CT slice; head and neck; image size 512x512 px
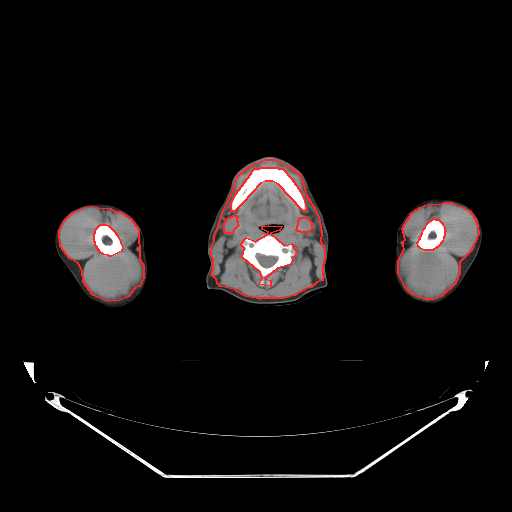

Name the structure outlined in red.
red: muscle.
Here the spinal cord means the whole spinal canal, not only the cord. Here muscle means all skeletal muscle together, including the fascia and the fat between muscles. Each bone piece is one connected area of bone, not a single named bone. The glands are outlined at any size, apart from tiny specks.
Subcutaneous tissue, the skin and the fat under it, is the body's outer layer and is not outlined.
{"muscle":[{"outer":[[264,159],[274,159],[280,161],[289,166],[300,175],[306,195],[315,209],[319,220],[321,232],[320,241],[324,247],[324,258],[322,265],[322,274],[323,275],[322,280],[316,282],[311,287],[306,288],[294,295],[283,298],[256,298],[246,296],[234,289],[220,286],[217,283],[216,279],[211,274],[213,269],[213,259],[211,254],[211,247],[214,241],[214,235],[218,226],[221,214],[233,191],[235,180],[237,176],[249,166]],"holes":[[[268,225],[281,226],[279,230],[270,233],[284,245],[291,243],[296,251],[290,264],[277,268],[265,278],[270,280],[270,286],[259,284],[262,278],[260,272],[242,257],[244,248],[240,244],[246,237],[255,241],[267,234],[268,232],[262,229],[262,226]],[[260,167],[277,167],[278,168],[282,168],[291,178],[300,191],[303,197],[306,209],[304,211],[302,210],[278,184],[272,181],[265,181],[260,183],[242,203],[234,211],[232,211],[231,210],[231,203],[235,194],[251,173],[252,170],[254,168],[259,168]],[[233,215],[236,215],[237,216],[237,217],[236,218],[236,220],[237,221],[237,224],[238,225],[233,230],[233,231],[232,232],[232,233],[225,233],[224,232],[224,223],[225,222],[225,221],[226,220],[226,219],[228,217],[230,217],[231,216],[232,216]],[[301,217],[306,217],[312,223],[312,224],[311,225],[311,229],[308,232],[301,232],[300,231],[297,231],[296,230],[296,229],[297,228],[297,225],[298,224],[298,220],[299,219],[299,218],[300,218]]]},{"outer":[[86,206],[110,208],[114,211],[119,211],[130,218],[138,229],[139,259],[143,265],[143,278],[139,286],[134,288],[128,296],[119,300],[106,301],[93,295],[83,282],[82,270],[78,263],[69,258],[60,246],[59,231],[64,220],[72,212]],"hole":[[100,224],[106,224],[108,225],[115,232],[115,233],[117,235],[120,241],[120,243],[122,247],[121,249],[121,251],[111,256],[109,256],[108,255],[103,254],[99,251],[99,250],[95,245],[95,242],[94,241],[94,233],[95,232],[95,230],[96,228]]},{"outer":[[443,202],[452,202],[469,210],[476,220],[478,233],[471,250],[459,262],[459,273],[455,283],[441,296],[433,299],[425,299],[412,294],[405,287],[398,273],[398,260],[404,249],[402,241],[405,239],[402,228],[411,213],[419,207],[429,203],[439,204]],"hole":[[433,218],[435,219],[438,219],[442,223],[444,227],[444,230],[445,231],[444,232],[444,236],[443,237],[442,241],[437,247],[436,247],[432,250],[424,250],[420,248],[418,246],[417,242],[420,238],[420,236],[422,233],[423,229],[425,227],[427,223]]}],"right_arm":[[[94,201],[107,202],[125,210],[139,224],[144,236],[145,252],[149,264],[149,277],[147,287],[143,293],[135,301],[120,309],[108,309],[89,300],[82,293],[76,281],[59,257],[54,245],[55,230],[59,221],[64,214],[74,206],[82,203],[93,202]]],"left_arm":[[[431,197],[453,198],[460,200],[469,205],[479,217],[481,221],[483,233],[482,241],[478,253],[457,290],[448,299],[438,305],[431,307],[422,307],[411,303],[400,294],[394,282],[392,263],[395,251],[396,231],[398,226],[407,212],[414,205],[424,199]]],"submandibular_glands":[[[233,215],[236,215],[237,216],[237,217],[236,218],[236,220],[237,221],[237,224],[238,225],[233,230],[233,231],[232,232],[232,233],[225,233],[224,232],[224,223],[225,222],[225,221],[226,220],[226,219],[228,217],[230,217],[231,216],[232,216]],[[301,217],[306,217],[312,223],[312,224],[311,225],[311,229],[308,232],[301,232],[300,231],[297,231],[296,230],[296,229],[297,228],[297,225],[298,224],[298,220],[299,219],[299,218],[300,218]]],"head_and_neck":[{"outer":[[265,154],[281,156],[303,172],[321,209],[329,237],[328,254],[325,265],[327,285],[322,291],[308,293],[300,301],[286,305],[250,305],[238,301],[224,293],[208,289],[205,280],[210,264],[207,254],[208,233],[215,214],[229,188],[231,178],[244,164]],"hole":[[268,225],[279,225],[280,226],[281,226],[281,228],[279,230],[278,230],[277,231],[274,231],[273,232],[271,232],[270,233],[269,232],[268,232],[267,231],[265,231],[263,229],[262,229],[262,226],[267,226]]}],"bones":[{"outer":[[268,233],[272,234],[284,245],[291,243],[293,249],[296,251],[296,253],[291,258],[290,264],[277,268],[265,278],[270,280],[270,286],[259,284],[259,281],[262,278],[260,272],[242,257],[244,248],[240,244],[240,242],[246,237],[249,237],[255,241]],"hole":[[257,254],[261,254],[262,255],[264,255],[265,256],[275,256],[276,257],[277,257],[277,260],[271,266],[270,266],[269,267],[264,267],[262,265],[261,265],[260,264],[260,263],[258,261],[258,260],[257,259],[257,258],[256,257],[256,255]]},[[260,167],[277,167],[278,168],[282,168],[291,178],[300,191],[303,197],[306,209],[304,211],[302,210],[278,184],[272,181],[265,181],[260,183],[242,203],[234,211],[232,211],[231,210],[231,203],[235,194],[251,173],[252,170],[254,168],[259,168]],[[100,224],[106,224],[108,225],[115,232],[115,233],[117,235],[120,241],[120,243],[122,247],[121,249],[121,251],[111,256],[109,256],[108,255],[103,254],[99,251],[99,250],[95,245],[95,242],[94,241],[94,233],[95,232],[95,230],[96,228]],[[433,218],[435,219],[438,219],[442,223],[444,227],[444,230],[445,231],[444,232],[444,236],[443,237],[442,241],[437,247],[436,247],[432,250],[424,250],[420,248],[418,246],[417,242],[420,238],[420,236],[422,233],[423,229],[425,227],[427,223]]],"spinal_cord":[[[257,254],[261,254],[262,255],[264,255],[265,256],[275,256],[276,257],[277,257],[277,260],[271,266],[270,266],[269,267],[264,267],[262,265],[261,265],[260,264],[260,263],[258,261],[258,260],[257,259],[257,258],[256,257],[256,255]]]}